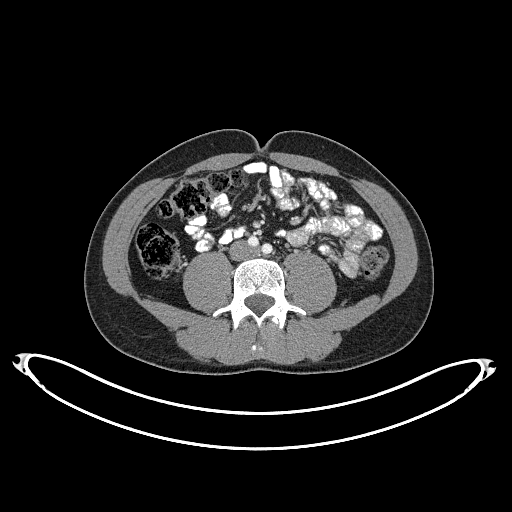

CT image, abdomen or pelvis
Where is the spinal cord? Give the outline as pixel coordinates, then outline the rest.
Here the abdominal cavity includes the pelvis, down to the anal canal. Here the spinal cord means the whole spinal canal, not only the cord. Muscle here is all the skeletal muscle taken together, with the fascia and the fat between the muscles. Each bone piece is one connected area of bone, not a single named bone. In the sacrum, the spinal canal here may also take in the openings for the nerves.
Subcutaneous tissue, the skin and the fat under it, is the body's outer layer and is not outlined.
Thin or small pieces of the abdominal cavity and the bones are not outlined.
The spinal cord is outlined by [[258,315],[260,315],[266,309],[267,309],[270,306],[271,306],[273,304],[273,299],[271,297],[270,297],[269,296],[267,296],[266,295],[263,295],[262,294],[254,294],[251,296],[249,296],[248,297],[247,297],[245,299],[245,304],[249,308],[250,308]]. The torso is outlined by [[205,375],[253,370],[292,374],[345,371],[401,350],[420,331],[434,289],[428,236],[408,199],[363,156],[312,132],[277,132],[262,145],[247,131],[224,128],[166,150],[109,200],[92,231],[84,265],[85,299],[96,328],[114,348],[130,357],[170,371]]. The abdominal cavity is outlined by [[190,309],[182,290],[182,274],[199,253],[221,251],[234,269],[253,257],[273,259],[283,268],[287,255],[311,252],[333,273],[335,306],[381,295],[392,271],[393,249],[369,205],[334,176],[298,171],[265,157],[187,175],[142,219],[129,261],[142,295]]. The muscle is outlined by [[214,365],[237,365],[253,360],[264,360],[284,365],[304,365],[318,362],[324,359],[339,346],[347,332],[365,318],[400,295],[406,289],[415,275],[418,257],[412,228],[403,210],[390,193],[376,183],[344,171],[318,159],[285,152],[221,153],[207,157],[177,171],[150,179],[135,187],[118,207],[105,234],[102,248],[102,267],[107,282],[110,287],[118,294],[134,301],[162,323],[173,335],[177,345],[191,357],[200,362]], around holes outlined by [[234,330],[248,317],[282,329],[288,311],[306,314],[284,295],[282,263],[295,251],[328,264],[333,306],[383,293],[390,240],[345,181],[255,157],[178,179],[150,208],[129,251],[138,291],[192,309],[182,274],[221,251],[233,298],[212,315],[229,311]] and by [[253,351],[254,351],[255,350],[262,350],[262,347],[261,346],[260,346],[259,345],[257,345],[256,344],[253,344],[251,346],[251,348],[252,349],[252,350]]. The bones are outlined by [[234,330],[248,317],[258,327],[268,319],[282,329],[288,311],[306,314],[302,308],[292,304],[285,297],[285,271],[277,262],[263,258],[248,259],[238,264],[232,272],[234,274],[233,298],[226,306],[215,310],[212,315],[215,317],[224,311],[229,311]], around a hole outlined by [[258,315],[260,315],[266,309],[267,309],[270,306],[271,306],[273,304],[273,299],[271,297],[270,297],[269,296],[267,296],[266,295],[263,295],[262,294],[254,294],[251,296],[249,296],[248,297],[247,297],[245,299],[245,304],[249,308],[250,308]].